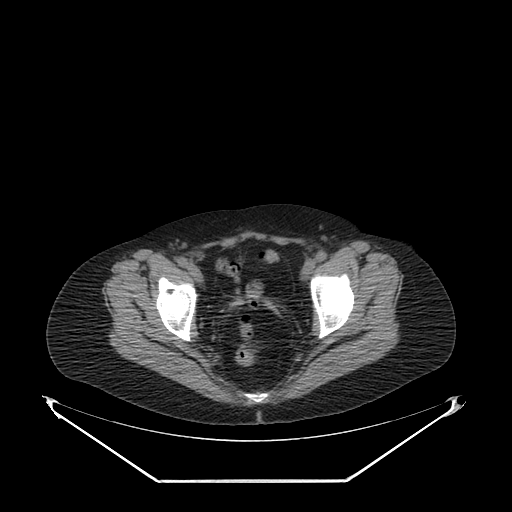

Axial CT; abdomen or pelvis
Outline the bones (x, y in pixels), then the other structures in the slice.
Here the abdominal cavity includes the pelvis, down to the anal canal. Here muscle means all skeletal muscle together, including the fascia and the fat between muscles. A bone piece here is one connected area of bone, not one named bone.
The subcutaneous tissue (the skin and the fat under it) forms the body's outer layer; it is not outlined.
The bones appear in 3 outlined pieces: piece 1: 343 273; 347 274; 350 281; 350 286; 354 295; 354 303; 352 310; 348 316; 347 320; 343 325; 324 337; 318 338; 319 321; 317 313; 314 310; 312 305; 312 300; 310 295; 310 286; 309 285; 310 279; 315 274; 336 275; 338 276; piece 2: 161 276; 164 276; 168 280; 176 284; 180 284; 183 282; 191 282; 193 283; 195 287; 197 293; 197 299; 196 300; 195 313; 190 325; 190 341; 186 341; 170 332; 163 324; 160 318; 160 316; 156 308; 156 298; 158 294; 158 279; piece 3: 245 392; 268 392; 269 393; 269 395; 267 397; 267 398; 266 399; 266 401; 265 402; 259 402; 258 403; 253 403; 250 405; 248 405; 246 403; 246 401; 247 400; 246 399; 246 398; 240 394; 241 394; 242 393; 244 393. The muscle is outlined by 244 230; 310 238; 323 244; 359 239; 386 250; 397 261; 403 274; 396 306; 400 340; 395 347; 378 360; 301 397; 275 405; 253 406; 232 406; 215 401; 123 358; 108 344; 106 335; 111 320; 101 291; 118 258; 138 247; 190 248; inner edges: 248 238; 300 245; 312 276; 346 273; 354 295; 347 320; 322 338; 312 309; 311 327; 288 371; 262 390; 233 378; 217 351; 199 337; 195 313; 190 341; 186 341; 166 328; 156 308; 161 276; 176 284; 193 283; 198 297; 205 255, then 245 392; 268 392; 269 393; 269 395; 267 397; 267 398; 266 399; 266 401; 265 402; 259 402; 258 403; 253 403; 250 405; 248 405; 246 403; 246 401; 247 400; 246 399; 246 398; 240 394; 241 394; 242 393; 244 393. The torso is outlined by 267 203; 318 208; 352 221; 365 232; 383 236; 397 234; 408 239; 436 272; 454 309; 455 344; 442 366; 374 401; 345 412; 256 425; 209 425; 162 415; 70 379; 55 367; 45 339; 47 318; 59 290; 78 265; 107 247; 188 215. The abdominal cavity is outlined by 248 238; 270 241; 279 245; 291 243; 300 245; 309 264; 311 274; 308 285; 312 306; 311 327; 285 375; 272 387; 262 390; 253 390; 241 385; 233 378; 217 351; 199 337; 196 322; 197 300; 203 288; 205 255; 212 251; 231 247.